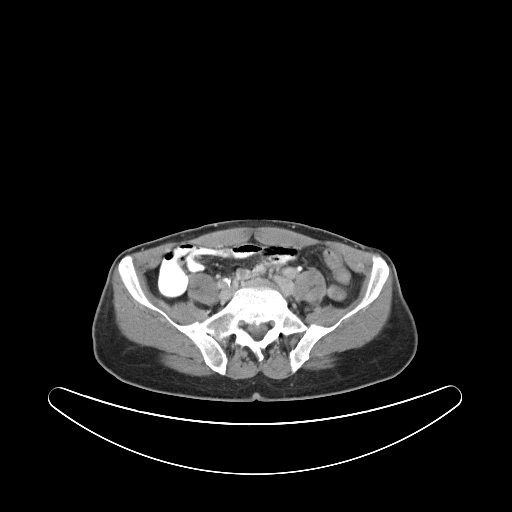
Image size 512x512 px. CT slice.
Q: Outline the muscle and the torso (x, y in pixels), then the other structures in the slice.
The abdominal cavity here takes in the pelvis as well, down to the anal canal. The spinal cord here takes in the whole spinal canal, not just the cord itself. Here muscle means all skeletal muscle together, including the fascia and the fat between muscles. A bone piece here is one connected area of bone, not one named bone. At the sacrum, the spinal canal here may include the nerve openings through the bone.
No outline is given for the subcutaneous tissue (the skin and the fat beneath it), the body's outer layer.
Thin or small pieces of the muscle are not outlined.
A: The muscle appears in 5 outlined pieces: piece 1: (242, 226) (281, 227) (317, 239) (338, 241) (360, 250) (377, 253) (371, 255) (369, 277) (362, 298) (353, 308) (329, 326) (314, 322) (306, 324) (301, 318) (304, 318) (309, 312) (319, 307) (332, 305) (340, 308) (346, 307) (359, 294) (362, 278) (346, 264) (338, 253) (323, 244) (313, 244) (306, 247) (291, 247) (275, 243) (263, 243) (252, 235) (243, 241) (219, 248) (186, 242) (167, 249) (161, 256) (159, 263) (146, 274) (150, 291) (170, 305) (179, 301) (186, 301) (188, 299) (190, 279) (196, 274) (204, 273) (213, 277) (217, 288) (217, 300) (212, 305) (195, 303) (207, 314) (203, 320) (195, 320) (186, 324) (176, 322) (161, 308) (152, 303) (145, 294) (140, 284) (131, 254) (167, 242) (181, 241) (217, 230); piece 2: (116, 266) (118, 275) (132, 298) (141, 305) (160, 314) (172, 326) (188, 337) (199, 350) (204, 363) (211, 370) (218, 374) (209, 376) (194, 376) (178, 372) (165, 366) (159, 361) (159, 351) (157, 349) (149, 346) (139, 345) (121, 334) (115, 322) (112, 302) (112, 276); piece 3: (390, 268) (392, 274) (391, 312) (387, 323) (381, 332) (365, 345) (339, 353) (339, 359) (335, 363) (335, 365) (330, 368) (319, 370) (300, 369) (303, 364) (310, 358) (310, 352) (314, 345) (322, 337) (333, 331) (344, 320) (367, 307) (378, 297) (388, 279); piece 4: (297, 333) (302, 334) (294, 347) (288, 352) (290, 371) (294, 374) (291, 376) (283, 379) (273, 379) (260, 372) (245, 379) (233, 379) (225, 376) (228, 358) (218, 341) (234, 335) (233, 343) (241, 347) (247, 347) (261, 362) (264, 359) (263, 350) (281, 334) (289, 336); piece 5: (309, 267) (314, 267) (319, 270) (323, 275) (324, 279) (325, 280) (326, 293) (319, 304) (311, 304) (309, 305) (309, 304) (305, 301) (303, 300) (298, 300) (296, 298) (296, 292) (295, 291) (295, 286) (294, 285) (295, 280) (297, 276) (301, 272) (304, 270) (306, 270). The torso is outlined by (243, 218) (269, 218) (301, 222) (386, 252) (395, 266) (402, 293) (417, 327) (418, 345) (410, 363) (396, 376) (359, 389) (323, 397) (288, 401) (235, 402) (181, 397) (125, 383) (106, 371) (96, 361) (93, 354) (91, 325) (114, 258) (124, 249) (174, 232) (206, 223). The bones are outlined by (127, 254) (148, 300) (180, 325) (203, 321) (263, 278) (306, 325) (329, 327) (363, 298) (373, 254) (389, 274) (377, 297) (322, 336) (296, 372) (289, 352) (302, 332) (281, 333) (261, 361) (231, 334) (217, 341) (227, 358) (221, 375) (188, 336) (133, 298) (117, 268); inner edge: (271, 320) (273, 320) (274, 324) (265, 332) (265, 333) (260, 339) (258, 339) (257, 340) (253, 338) (247, 331) (246, 331) (242, 327) (238, 325) (238, 322) (240, 321) (243, 321) (245, 324) (249, 324) (250, 325) (253, 325) (256, 327) (258, 327) (261, 324) (268, 323). The abdominal cavity is outlined by (252, 236) (291, 248) (326, 246) (361, 278) (357, 296) (346, 306) (319, 306) (300, 317) (279, 288) (257, 277) (208, 315) (196, 303) (212, 306) (218, 288) (212, 275) (200, 272) (189, 279) (186, 300) (166, 302) (151, 291) (147, 274) (167, 250) (186, 243) (219, 249); inner edge: (309, 267) (314, 267) (319, 270) (323, 275) (324, 279) (325, 280) (326, 293) (319, 304) (311, 304) (309, 305) (309, 304) (305, 301) (303, 300) (298, 300) (296, 298) (296, 292) (295, 291) (295, 286) (294, 285) (295, 280) (297, 276) (301, 272) (304, 270) (306, 270). The spinal cord is outlined by (271, 320) (273, 320) (274, 324) (265, 332) (265, 333) (260, 339) (258, 339) (257, 340) (253, 338) (247, 331) (246, 331) (242, 327) (238, 325) (238, 322) (240, 321) (243, 321) (245, 324) (249, 324) (250, 325) (253, 325) (256, 327) (258, 327) (261, 324) (268, 323).